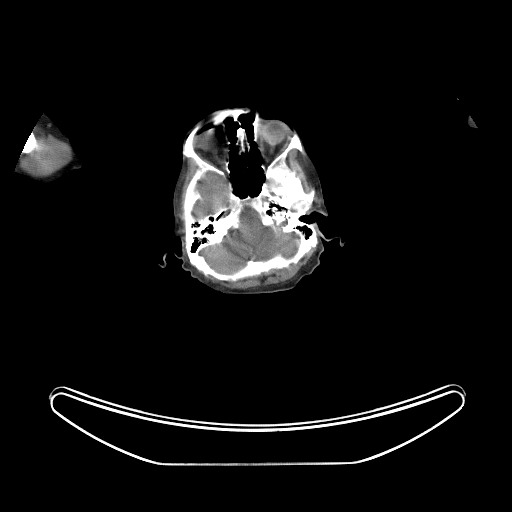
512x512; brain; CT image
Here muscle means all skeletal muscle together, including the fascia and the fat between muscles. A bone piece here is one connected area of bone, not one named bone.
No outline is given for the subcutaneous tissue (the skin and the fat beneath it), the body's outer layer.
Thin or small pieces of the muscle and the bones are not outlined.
{"head":[{"outer":[[237,108],[257,109],[295,129],[317,170],[328,211],[327,216],[312,212],[301,218],[344,243],[324,240],[319,265],[288,290],[232,295],[193,278],[171,254],[164,267],[158,264],[168,249],[179,255],[182,249],[170,235],[186,132],[214,110]],"hole":[[248,113],[254,114],[250,124],[252,141],[256,144],[263,162],[260,165],[263,180],[257,194],[241,197],[234,190],[230,179],[231,141],[223,122],[229,117],[238,125],[234,132],[236,153],[248,153],[251,150],[251,142],[247,128],[242,125],[239,118]]}],"right_arm":[[[43,113],[46,113],[50,117],[59,128],[70,139],[71,143],[75,149],[80,152],[83,155],[84,158],[81,167],[66,173],[55,182],[47,185],[42,185],[41,184],[33,183],[20,175],[16,174],[14,171],[24,144],[33,130],[34,126]]],"brain":[[[246,206],[257,214],[263,226],[270,228],[275,233],[280,230],[283,233],[295,234],[297,236],[295,251],[288,256],[276,253],[266,259],[248,259],[243,266],[231,272],[218,271],[201,253],[207,248],[220,244],[230,230],[237,230],[240,227],[241,214]],[[208,172],[213,172],[226,180],[227,182],[226,183],[227,184],[227,193],[226,194],[227,195],[227,204],[220,205],[214,211],[207,212],[203,214],[198,213],[197,214],[198,215],[196,215],[194,214],[195,205],[198,201],[203,198],[198,189],[198,183]]],"bones":[{"outer":[[199,123],[194,150],[218,168],[228,159],[229,179],[241,198],[258,194],[262,163],[298,135],[303,152],[292,149],[286,160],[302,185],[315,189],[301,218],[314,222],[318,241],[297,263],[236,281],[205,276],[190,263],[181,217],[196,165],[183,145]],"holes":[[[246,206],[257,214],[263,226],[270,228],[275,233],[280,230],[283,233],[295,234],[297,236],[295,251],[288,256],[276,253],[266,259],[248,259],[243,266],[231,272],[218,271],[201,253],[207,248],[220,244],[230,230],[237,230],[240,227],[241,214]],[[208,172],[213,172],[226,180],[227,182],[226,183],[227,184],[227,193],[226,194],[227,195],[227,204],[220,205],[214,211],[207,212],[203,214],[198,213],[197,214],[198,215],[196,215],[194,214],[195,205],[198,201],[203,198],[198,189],[198,183]]]},[[237,108],[244,109],[247,111],[247,113],[243,113],[238,117],[241,125],[246,128],[246,133],[250,142],[250,150],[242,154],[237,153],[238,147],[235,145],[235,132],[239,125],[229,116],[226,117],[219,124],[213,124],[211,121],[211,118],[216,111]],[[32,131],[33,131],[34,132],[34,135],[35,136],[35,137],[36,138],[36,140],[39,145],[39,148],[37,150],[34,150],[30,153],[24,153],[23,154],[21,154],[21,151],[24,146],[24,144],[26,142],[29,135]],[[256,113],[258,113],[258,114],[260,117],[260,124],[261,125],[261,131],[259,133],[259,135],[258,136],[258,141],[257,142],[257,143],[256,143],[253,141],[253,128],[252,127],[252,125],[251,124],[255,118],[255,114]]],"left_arm":[[[467,114],[468,115],[469,115],[471,117],[471,118],[473,120],[473,121],[474,122],[474,123],[476,125],[476,128],[472,128],[471,127],[470,127],[466,123],[466,115]]],"muscle":[[[38,121],[45,126],[48,125],[61,138],[62,141],[68,144],[72,152],[72,159],[66,165],[49,175],[40,176],[28,173],[24,171],[17,162],[20,154],[21,155],[30,154],[34,151],[37,151],[40,148],[35,132],[33,130],[34,126]],[[317,245],[314,253],[308,262],[292,278],[283,282],[248,288],[232,288],[214,282],[206,277],[211,276],[219,281],[236,282],[246,278],[257,277],[262,274],[268,274],[271,270],[287,269],[292,264],[293,265],[297,264],[306,254],[313,248],[315,248]],[[292,150],[296,150],[299,153],[302,154],[309,167],[313,172],[315,178],[319,204],[310,211],[314,202],[316,189],[313,186],[305,187],[302,183],[300,175],[298,174],[297,168],[292,162],[288,163],[287,158],[289,153]],[[187,159],[191,159],[192,160],[195,165],[195,168],[184,190],[183,198],[181,202],[181,210],[182,212],[180,217],[183,222],[183,232],[181,232],[180,231],[181,221],[178,215],[178,196],[180,192],[180,187],[182,183],[182,178],[187,167]]]}